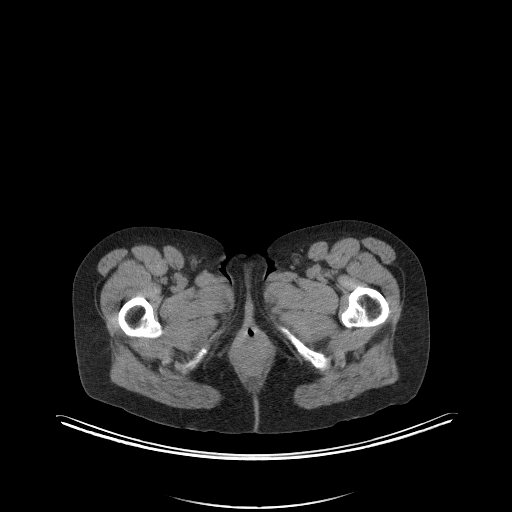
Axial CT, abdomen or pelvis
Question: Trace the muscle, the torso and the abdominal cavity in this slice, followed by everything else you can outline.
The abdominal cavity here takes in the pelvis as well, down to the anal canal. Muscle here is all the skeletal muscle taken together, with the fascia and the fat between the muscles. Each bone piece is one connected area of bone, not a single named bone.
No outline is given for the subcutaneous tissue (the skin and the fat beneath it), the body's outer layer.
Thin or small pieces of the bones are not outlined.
Answer: {"muscle":[{"outer":[[332,232],[378,237],[388,242],[396,253],[395,261],[404,274],[404,303],[393,342],[399,377],[392,384],[366,390],[350,399],[307,409],[292,401],[292,392],[296,386],[310,382],[314,375],[295,357],[270,323],[263,289],[276,272],[291,263],[305,243]],"holes":[[[356,286],[367,286],[368,287],[371,287],[374,289],[376,289],[379,291],[385,298],[391,311],[388,318],[383,323],[379,325],[372,326],[371,327],[355,327],[354,326],[352,327],[346,327],[342,323],[340,319],[341,314],[342,312],[348,307],[348,296]],[[279,326],[283,326],[287,328],[298,339],[299,339],[310,349],[320,352],[327,357],[329,359],[329,364],[328,365],[328,367],[323,370],[321,370],[313,366],[313,365],[309,361],[306,360],[299,353],[288,338],[281,331],[280,331],[278,328]]]},{"outer":[[135,242],[173,244],[189,263],[211,273],[235,290],[235,307],[229,328],[219,339],[213,355],[195,372],[198,382],[218,389],[223,395],[215,407],[188,409],[170,406],[110,380],[110,337],[94,298],[94,284],[100,277],[96,267],[98,261],[109,251]],"holes":[[[136,295],[141,295],[143,296],[151,304],[153,309],[154,319],[160,323],[161,328],[162,329],[162,333],[158,337],[156,337],[155,338],[148,338],[147,337],[135,337],[134,336],[128,336],[124,333],[119,326],[117,321],[117,316],[121,306],[124,302]],[[205,345],[208,345],[208,350],[207,351],[207,352],[204,355],[204,356],[202,358],[202,359],[196,365],[196,366],[194,368],[192,368],[191,369],[190,368],[184,368],[183,367],[183,365],[189,360],[190,360],[197,353],[197,352],[203,346],[204,346]]]},{"outer":[[249,298],[254,304],[252,318],[254,323],[271,337],[277,347],[277,353],[270,371],[258,392],[251,392],[245,388],[240,381],[233,366],[223,357],[216,356],[216,354],[220,348],[222,346],[228,345],[236,335],[236,333],[241,328],[243,320],[244,304]],"hole":[[247,326],[248,327],[252,327],[254,328],[261,334],[262,334],[268,345],[268,348],[269,349],[266,364],[263,368],[262,372],[258,380],[256,382],[254,381],[250,381],[244,375],[240,369],[234,355],[234,350],[242,334],[244,332],[245,328]]}],"torso":[{"outer":[[341,219],[384,227],[412,249],[423,268],[429,305],[429,359],[421,386],[408,402],[323,429],[230,434],[158,424],[96,400],[84,391],[74,347],[72,283],[85,255],[106,235],[131,226],[192,230],[218,240],[229,257],[237,252],[264,254],[285,233]],"hole":[[269,261],[271,261],[273,263],[273,269],[271,271],[269,271],[268,272],[268,262]]}],"abdominal_cavity":[[[247,326],[248,327],[252,327],[254,328],[261,334],[262,334],[268,345],[268,348],[269,349],[266,364],[263,368],[262,372],[258,380],[256,382],[254,381],[250,381],[244,375],[240,369],[234,355],[234,350],[242,334],[244,332],[245,328]]],"bones":[[[356,286],[367,286],[368,287],[371,287],[374,289],[376,289],[379,291],[385,298],[391,311],[388,318],[383,323],[379,325],[372,326],[371,327],[355,327],[354,326],[352,327],[346,327],[342,323],[340,319],[341,314],[342,312],[348,307],[348,296]],[[136,295],[141,295],[143,296],[151,304],[153,309],[154,319],[160,323],[161,328],[162,329],[162,333],[158,337],[156,337],[155,338],[148,338],[147,337],[135,337],[134,336],[128,336],[124,333],[119,326],[117,321],[117,316],[121,306],[124,302]],[[279,326],[283,326],[287,328],[298,339],[299,339],[310,349],[320,352],[327,357],[329,359],[329,364],[328,365],[328,367],[323,370],[321,370],[313,366],[313,365],[309,361],[306,360],[299,353],[288,338],[281,331],[280,331],[278,328]],[[205,345],[208,345],[208,350],[207,351],[207,352],[204,355],[204,356],[202,358],[202,359],[196,365],[196,366],[194,368],[192,368],[191,369],[190,368],[184,368],[183,367],[183,365],[189,360],[190,360],[197,353],[197,352],[203,346],[204,346]]]}